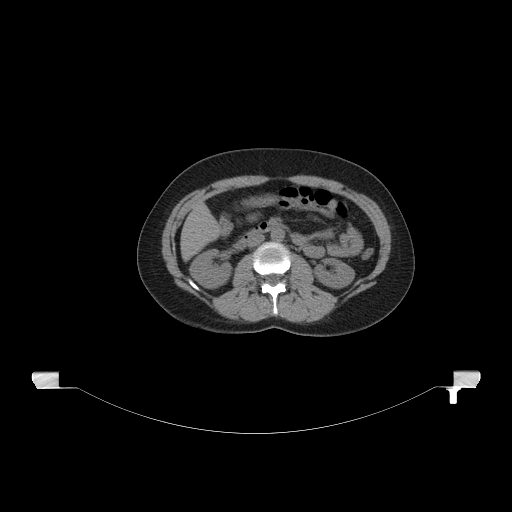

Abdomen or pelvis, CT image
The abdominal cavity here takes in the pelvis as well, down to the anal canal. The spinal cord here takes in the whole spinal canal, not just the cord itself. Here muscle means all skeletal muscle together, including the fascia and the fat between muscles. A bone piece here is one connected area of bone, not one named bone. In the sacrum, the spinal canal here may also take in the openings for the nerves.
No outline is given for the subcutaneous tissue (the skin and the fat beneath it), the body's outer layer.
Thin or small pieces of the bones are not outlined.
{"muscle":[{"outer":[[300,174],[338,181],[368,196],[379,206],[390,228],[391,248],[385,268],[376,277],[374,285],[351,297],[322,319],[303,324],[277,317],[244,323],[232,321],[220,316],[175,284],[161,253],[161,237],[166,221],[180,199],[195,189],[224,178],[240,175]],"hole":[[275,180],[327,188],[355,203],[378,237],[371,271],[336,294],[314,284],[310,264],[290,251],[286,290],[277,295],[276,315],[272,296],[261,291],[252,252],[234,267],[230,289],[218,295],[195,289],[174,254],[176,232],[185,215],[214,195]]}],"bones":[{"outer":[[267,241],[278,242],[283,244],[289,250],[290,256],[290,266],[289,269],[284,274],[286,282],[286,290],[280,292],[277,295],[276,315],[273,314],[272,296],[269,293],[263,293],[261,291],[260,284],[262,278],[255,271],[253,267],[253,252],[258,246]],"hole":[[269,274],[277,274],[278,275],[280,275],[280,276],[281,277],[281,279],[280,280],[280,281],[279,282],[278,282],[276,284],[275,284],[274,285],[271,285],[270,284],[269,284],[267,282],[266,282],[264,280],[264,277],[266,275],[268,275]]},[[189,278],[190,279],[191,279],[200,288],[200,290],[197,290],[196,289],[195,289],[189,283],[189,282],[188,281],[188,279]]],"abdominal_cavity":[[[275,180],[327,188],[355,203],[367,215],[378,237],[377,258],[371,271],[343,291],[332,293],[314,284],[313,269],[304,257],[290,251],[281,242],[267,240],[237,262],[232,287],[218,295],[202,289],[186,275],[176,255],[175,236],[188,211],[214,195]]],"spinal_cord":[[[269,274],[277,274],[278,275],[280,275],[280,276],[281,277],[281,279],[280,280],[280,281],[279,282],[278,282],[276,284],[275,284],[274,285],[271,285],[270,284],[269,284],[267,282],[266,282],[264,280],[264,277],[266,275],[268,275]]],"torso":[[[249,147],[291,147],[322,151],[357,163],[380,179],[402,212],[415,255],[412,283],[393,311],[365,329],[338,336],[306,336],[278,328],[226,334],[186,325],[173,318],[154,300],[143,285],[136,264],[139,233],[151,208],[168,184],[189,165],[215,153]]]}